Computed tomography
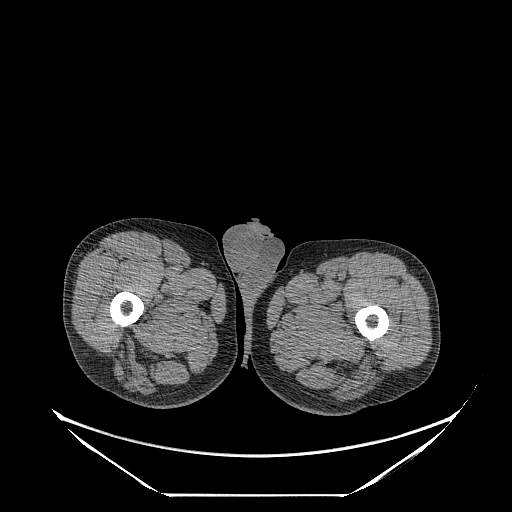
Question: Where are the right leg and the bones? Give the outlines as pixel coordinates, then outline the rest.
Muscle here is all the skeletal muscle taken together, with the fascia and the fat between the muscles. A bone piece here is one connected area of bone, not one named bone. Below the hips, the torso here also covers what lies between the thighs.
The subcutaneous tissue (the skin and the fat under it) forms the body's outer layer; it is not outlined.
Answer: Outlined structures:
right leg: [[131,217],[159,218],[205,229],[216,238],[234,284],[238,337],[235,363],[228,376],[217,388],[201,399],[184,406],[163,409],[144,407],[98,387],[90,381],[75,361],[64,329],[62,319],[63,281],[66,266],[73,250],[88,233],[97,227],[115,220]]
bones 1: [[368,304],[377,304],[379,306],[382,307],[386,311],[389,319],[389,325],[388,326],[388,329],[387,331],[382,336],[378,338],[376,338],[372,341],[369,341],[366,337],[362,335],[359,332],[354,321],[354,317],[357,310],[361,307],[365,306]]
bones 2: [[124,290],[127,290],[128,291],[133,292],[139,296],[143,302],[143,304],[144,305],[144,310],[142,314],[135,322],[133,322],[127,326],[122,327],[120,325],[115,323],[112,320],[109,312],[109,305],[112,298],[115,295],[115,294],[120,291],[123,291]]
muscle 1: [[128,230],[147,231],[171,237],[196,253],[212,269],[224,287],[226,313],[219,351],[204,379],[177,393],[160,396],[153,394],[146,395],[128,391],[117,385],[94,352],[77,334],[72,324],[71,304],[73,284],[76,278],[78,264],[91,245],[101,237]]; inner edge: [[124,290],[127,290],[128,291],[133,292],[139,296],[143,302],[143,304],[144,305],[144,310],[142,314],[135,322],[133,322],[127,326],[122,327],[120,325],[115,323],[112,320],[109,312],[109,305],[112,298],[115,295],[115,294],[120,291],[123,291]]
muscle 2: [[364,250],[379,251],[398,257],[421,282],[429,297],[429,313],[432,332],[431,350],[427,358],[420,365],[397,376],[378,389],[360,398],[346,401],[328,401],[311,397],[288,384],[273,363],[269,351],[266,323],[268,303],[276,288],[300,269],[336,256]] with a hole at [[368,304],[377,304],[379,306],[382,307],[386,311],[389,319],[389,325],[388,326],[388,329],[387,331],[382,336],[378,338],[376,338],[372,341],[369,341],[366,337],[362,335],[359,332],[354,321],[354,317],[357,310],[361,307],[365,306]]
left leg: [[344,238],[366,238],[389,242],[408,250],[424,264],[433,280],[437,294],[441,343],[438,359],[431,374],[417,388],[394,400],[354,413],[323,415],[303,411],[287,404],[262,383],[250,358],[252,319],[258,298],[278,269],[284,264],[294,246],[309,240]]
torso: [[252,217],[259,218],[263,224],[268,226],[283,240],[285,251],[277,270],[257,298],[251,319],[250,351],[249,358],[247,360],[247,367],[245,368],[241,366],[245,332],[242,301],[239,290],[235,287],[223,254],[222,235],[230,226],[238,223],[244,223]]